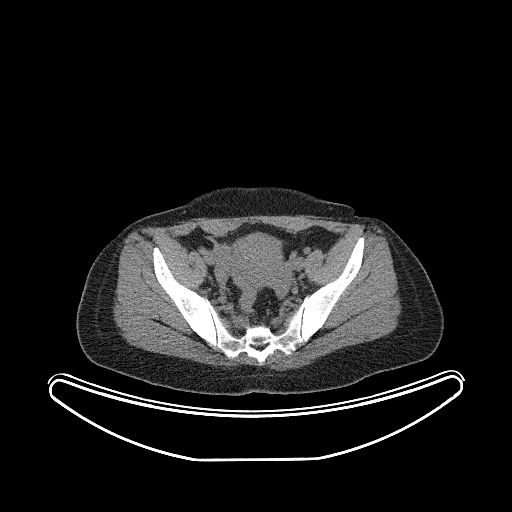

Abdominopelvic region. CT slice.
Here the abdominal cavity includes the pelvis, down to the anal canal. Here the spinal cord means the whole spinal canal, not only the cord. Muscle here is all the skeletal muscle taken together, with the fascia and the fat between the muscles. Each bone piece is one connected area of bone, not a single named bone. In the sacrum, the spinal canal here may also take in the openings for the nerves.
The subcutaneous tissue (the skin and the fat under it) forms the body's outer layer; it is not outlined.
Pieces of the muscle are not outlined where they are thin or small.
torso: 226 186; 293 188; 350 205; 357 214; 373 216; 385 222; 417 256; 440 300; 445 324; 435 351; 422 361; 382 371; 344 387; 299 394; 251 392; 212 395; 187 392; 153 385; 89 360; 78 341; 76 312; 90 267; 102 248; 135 220
spinal cord: 253 345; 255 345; 256 346; 257 346; 258 345; 265 345; 265 346; 263 348; 262 348; 261 349; 257 349; 256 348; 255 348; 253 346; 252 346
muscle 1: 300 214; 375 225; 383 231; 391 252; 402 306; 398 325; 393 331; 372 341; 344 347; 300 368; 283 371; 248 364; 231 368; 216 367; 137 348; 122 338; 113 320; 112 305; 119 254; 123 240; 130 232; 147 226; 176 225; 198 217, around a hole outlined by 244 223; 340 234; 327 251; 317 248; 305 259; 318 288; 340 275; 364 238; 360 268; 323 325; 291 354; 276 349; 261 365; 246 352; 229 358; 200 337; 153 267; 156 246; 175 279; 197 291; 206 264; 176 238; 196 227; 228 235
muscle 2: 220 315; 221 315; 222 316; 225 316; 226 317; 231 317; 232 316; 235 316; 236 317; 239 318; 245 324; 244 325; 244 331; 239 335; 236 335; 235 334; 233 334; 227 328; 226 325; 224 323; 224 322; 223 321; 223 319; 220 316
muscle 3: 294 310; 295 310; 293 312; 293 313; 287 319; 287 321; 285 324; 285 327; 283 329; 283 330; 282 330; 279 332; 277 332; 276 331; 274 331; 272 329; 272 320; 273 320; 281 314; 283 314; 284 313; 287 313; 288 312; 291 312
bones: 362 236; 364 248; 360 268; 323 325; 291 354; 276 349; 261 365; 246 352; 229 358; 200 337; 161 286; 153 267; 153 248; 156 246; 175 279; 206 297; 233 335; 242 334; 247 324; 263 324; 279 333; 306 296; 340 275; 357 240; inner edge: 253 345; 255 345; 256 346; 257 346; 258 345; 265 345; 265 346; 263 348; 262 348; 261 349; 257 349; 256 348; 255 348; 253 346; 252 346
abdominal cavity: 244 223; 264 223; 283 232; 302 232; 319 226; 340 234; 327 251; 317 248; 307 256; 305 273; 317 288; 296 309; 272 319; 271 328; 220 314; 206 296; 196 291; 206 274; 204 260; 176 238; 186 236; 196 227; 208 235; 228 235